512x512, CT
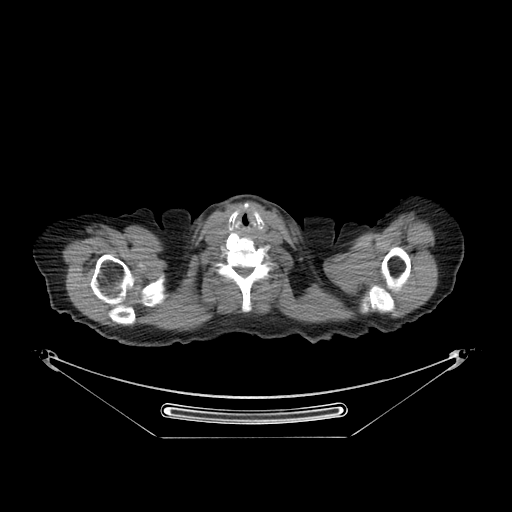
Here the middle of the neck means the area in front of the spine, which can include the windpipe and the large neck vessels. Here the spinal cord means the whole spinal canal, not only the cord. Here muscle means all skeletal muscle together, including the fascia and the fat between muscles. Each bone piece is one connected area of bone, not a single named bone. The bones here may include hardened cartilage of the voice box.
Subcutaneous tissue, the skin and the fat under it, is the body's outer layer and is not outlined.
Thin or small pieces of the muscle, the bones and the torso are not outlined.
The spinal cord is outlined by 234,267 242,267 243,268 244,268 245,267 251,267 252,268 253,268 253,269 252,270 252,271 248,275 247,275 246,276 243,276 242,275 241,275 240,274 239,274 235,270 235,269 234,268. The muscle is outlined by 242,199 282,215 297,252 293,283 303,288 314,279 340,297 320,270 322,258 365,232 381,231 402,212 424,214 436,238 436,289 398,318 373,313 305,323 277,311 216,315 192,331 131,327 136,313 126,300 135,277 120,258 103,253 89,286 122,326 101,324 82,314 65,289 61,250 75,234 93,223 149,229 163,241 173,289 208,215 with holes at 245,202 282,236 278,245 253,239 256,247 269,246 268,258 264,259 275,264 267,277 252,284 248,312 242,311 243,297 237,284 216,271 215,263 225,259 221,254 225,243 213,246 205,240 209,229 224,225 and at 394,246 400,246 407,252 411,264 409,276 401,289 397,292 390,292 394,301 394,309 391,312 385,313 371,310 361,313 359,310 360,300 370,288 373,285 379,285 384,288 386,287 380,268 384,256 and at 161,276 163,276 165,279 164,281 165,291 164,292 166,296 163,300 163,301 161,303 157,304 154,306 145,306 141,303 137,302 137,300 140,297 140,293 139,292 140,291 140,289 150,282 153,282 155,281. The middle of the neck is outlined by 241,206 244,208 251,206 255,210 253,215 257,227 262,230 265,223 281,234 282,242 275,245 260,239 240,236 233,231 220,246 207,243 205,235 209,229 221,227 227,222 228,229 233,230 239,213 238,208. The right arm is outlined by 140,207 147,207 153,212 165,242 164,268 150,283 146,291 128,304 79,320 73,320 67,313 58,313 52,309 44,277 38,270 32,255 32,244 36,235 49,222 59,218 86,212 118,216 130,213. The head and neck is outlined by 241,192 254,193 278,204 301,225 303,230 303,255 300,277 292,301 281,318 274,325 264,331 253,335 246,335 241,333 231,334 214,323 206,313 193,288 190,279 190,271 192,265 192,244 201,212 209,205. The bones appear in 6 outlined pieces: piece 1: 233,232 240,237 250,238 256,247 268,245 268,258 264,259 275,264 268,272 267,277 252,284 250,289 251,310 248,312 242,311 243,297 240,288 231,279 220,275 215,266 215,263 225,259 221,253 228,235; inner edge: 234,267 242,267 243,268 244,268 245,267 251,267 252,268 253,268 253,269 252,270 252,271 248,275 247,275 246,276 243,276 242,275 241,275 240,274 239,274 235,270 235,269 234,268; piece 2: 103,254 111,254 120,259 129,268 134,277 134,284 127,291 125,300 125,302 127,304 131,305 134,309 135,322 133,324 123,325 114,322 108,315 108,311 112,306 98,298 94,294 90,286 90,282 96,261; piece 3: 394,246 400,246 407,252 411,264 409,276 401,289 397,292 390,292 394,301 394,309 391,312 385,313 371,310 361,313 359,310 360,300 370,288 373,285 379,285 384,288 386,287 380,268 384,256; piece 4: 161,276 163,276 165,279 164,281 165,291 164,292 166,296 163,300 163,301 161,303 157,304 154,306 145,306 141,303 137,302 137,300 140,297 140,293 139,292 140,291 140,289 150,282 153,282 155,281; piece 5: 237,209 238,209 238,213 236,215 236,216 235,217 235,219 233,222 233,227 232,228 232,230 231,230 230,229 229,229 229,228 228,227 229,226 229,223 228,222 228,219 229,218 230,215 235,210 236,210; piece 6: 254,211 257,211 258,212 258,213 260,215 260,216 262,218 262,219 264,222 264,226 262,229 260,229 258,227 258,224 256,221 256,218 254,215. The torso appears in 2 outlined pieces: piece 1: 309,213 332,216 336,232 346,221 357,221 346,242 346,256 352,270 398,316 411,323 389,333 372,328 359,338 335,335 331,340 316,343 298,334 272,339 250,336 274,326 293,301 304,255 301,224 304,215; piece 2: 170,207 186,208 194,218 199,214 191,244 189,279 207,316 230,334 213,340 196,340 187,344 176,342 168,346 141,347 105,338 85,324 73,321 108,313 128,305 147,291 165,268 166,242 159,224 161,212. The left arm is outlined by 408,193 422,194 439,202 455,217 464,235 464,257 458,269 452,292 445,297 433,311 424,314 413,322 409,322 398,315 392,309 387,300 353,270 347,256 348,238 356,223 365,223 372,226 397,203 399,197.